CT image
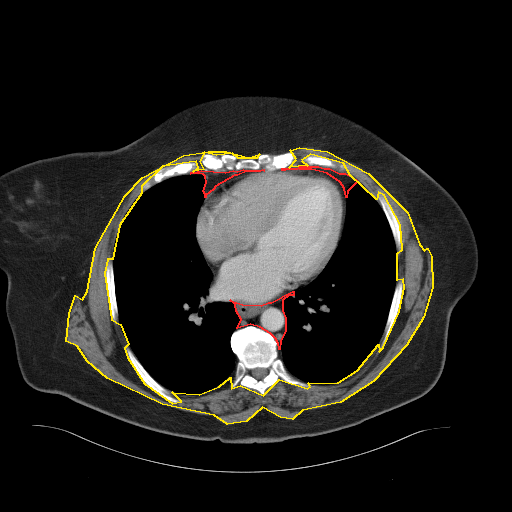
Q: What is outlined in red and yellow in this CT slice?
A: red: mediastinum; yellow: muscle.
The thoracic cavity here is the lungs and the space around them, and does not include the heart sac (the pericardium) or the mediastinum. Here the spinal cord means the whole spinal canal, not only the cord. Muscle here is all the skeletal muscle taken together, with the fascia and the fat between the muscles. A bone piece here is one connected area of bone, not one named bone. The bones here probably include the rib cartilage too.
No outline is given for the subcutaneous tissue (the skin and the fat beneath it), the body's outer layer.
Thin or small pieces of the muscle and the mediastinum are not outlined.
{"mediastinum":[[[292,291],[293,291],[293,295],[288,295],[282,300],[282,310],[285,318],[285,330],[280,341],[279,349],[278,343],[275,338],[270,333],[260,327],[250,324],[237,328],[241,319],[236,311],[235,304],[230,300],[242,304],[261,305],[268,302],[271,302]],[[243,169],[247,170],[260,170],[262,169],[264,170],[246,171],[237,175],[234,175],[215,186],[213,189],[205,195],[205,197],[205,194],[203,191],[206,182],[205,176],[203,174],[199,173],[190,173],[201,170],[225,172],[233,170],[237,171]],[[300,166],[304,166],[305,167],[306,166],[318,166],[324,168],[329,168],[339,173],[345,173],[351,176],[357,181],[347,191],[346,197],[344,188],[340,182],[327,173],[311,169],[300,169],[299,168],[292,169],[281,169],[285,169],[286,168],[288,167],[289,168],[297,168]]],"muscle":[[[299,147],[327,151],[368,173],[407,212],[419,244],[424,250],[427,248],[431,256],[432,287],[423,317],[406,345],[373,381],[340,402],[302,410],[292,419],[280,417],[262,407],[246,421],[227,424],[214,415],[162,404],[107,378],[87,361],[77,346],[66,341],[69,313],[75,295],[82,299],[87,291],[95,248],[125,195],[142,177],[183,155],[208,151],[226,151],[248,157],[259,154],[256,158],[238,158],[232,153],[216,155],[204,152],[199,161],[203,169],[193,171],[198,167],[196,161],[162,166],[141,186],[141,193],[119,225],[112,259],[107,259],[104,273],[111,319],[120,324],[128,344],[124,348],[127,357],[144,383],[172,403],[181,401],[172,392],[199,394],[219,386],[230,377],[231,388],[240,385],[263,395],[279,379],[307,388],[310,386],[308,383],[338,382],[357,370],[378,344],[379,351],[383,347],[399,311],[404,287],[403,279],[397,280],[397,253],[402,249],[400,224],[384,195],[378,192],[376,199],[350,175],[343,163],[310,154],[301,160],[307,165],[289,167],[296,159],[290,150]]],"thoracic_cavity":[[[186,174],[199,174],[205,178],[202,190],[204,199],[195,220],[195,237],[212,273],[212,285],[234,304],[240,321],[230,335],[230,348],[236,358],[232,376],[211,389],[184,394],[160,384],[131,349],[119,321],[113,254],[120,225],[134,201],[154,185]],[[356,182],[361,183],[378,202],[387,220],[397,256],[396,282],[381,337],[365,361],[352,373],[338,381],[307,382],[294,376],[279,356],[278,349],[281,347],[286,330],[283,300],[293,296],[295,290],[311,282],[329,261],[342,235],[347,209],[347,193]]],"torso":[[[236,95],[293,97],[343,114],[393,145],[459,204],[475,235],[478,270],[451,313],[445,363],[435,385],[418,399],[357,425],[267,443],[225,443],[156,432],[63,395],[32,388],[18,367],[5,311],[0,175],[41,158],[118,148],[185,107]]],"spinal_cord":[[[255,368],[265,368],[266,369],[267,369],[267,373],[266,374],[266,375],[265,376],[264,376],[261,379],[257,379],[256,378],[255,378],[251,374],[251,371],[253,369],[254,369]]],"bones":[{"outer":[[250,325],[260,328],[274,338],[277,343],[278,356],[285,368],[294,377],[306,382],[309,386],[304,387],[291,384],[281,378],[267,387],[263,394],[253,388],[240,384],[237,384],[234,387],[230,386],[237,362],[236,355],[231,348],[231,335],[236,329]],"hole":[[255,368],[265,368],[266,369],[267,369],[267,373],[266,374],[266,375],[265,376],[264,376],[261,379],[257,379],[256,378],[255,378],[251,374],[251,371],[253,369],[254,369]]},[[288,151],[292,151],[295,156],[295,159],[292,163],[285,168],[273,170],[265,170],[262,168],[243,168],[225,171],[216,171],[211,169],[205,170],[200,162],[204,153],[209,153],[216,156],[226,153],[235,155],[238,159],[256,159],[262,153],[276,155]],[[126,346],[128,346],[130,348],[144,369],[160,385],[166,389],[169,390],[175,397],[180,399],[180,401],[179,402],[172,402],[161,397],[154,391],[153,391],[145,383],[145,382],[141,378],[141,377],[138,374],[132,365],[126,352],[126,349],[125,348]],[[183,162],[196,162],[197,163],[197,167],[194,170],[189,173],[180,174],[179,175],[175,175],[174,176],[168,177],[162,181],[154,184],[148,189],[142,192],[141,191],[141,188],[144,183],[152,178],[156,170],[162,167],[171,167],[178,163],[182,163]],[[399,279],[402,279],[403,281],[402,295],[401,296],[400,304],[398,308],[398,311],[394,323],[391,328],[391,330],[384,344],[379,350],[380,340],[382,337],[384,331],[384,328],[387,321],[387,318],[388,317],[390,306],[392,302],[396,283]],[[378,193],[380,193],[383,195],[393,209],[397,217],[397,220],[399,224],[399,230],[400,231],[400,239],[401,240],[401,249],[399,253],[397,252],[396,246],[395,245],[395,241],[388,220],[383,211],[381,205],[377,199]],[[109,258],[112,260],[112,265],[113,266],[113,280],[114,281],[114,288],[115,289],[115,299],[117,304],[117,311],[118,312],[118,320],[116,323],[115,323],[112,319],[112,316],[109,307],[107,289],[106,288],[106,276],[105,273],[106,272],[106,264]],[[310,155],[323,156],[331,160],[333,160],[337,163],[341,163],[343,164],[349,170],[350,173],[349,174],[348,172],[347,173],[346,172],[339,172],[329,167],[324,167],[323,166],[319,166],[318,165],[308,165],[302,160],[304,157],[306,157]]],"pericardium":[[[293,169],[322,172],[337,180],[343,188],[345,195],[345,217],[339,241],[321,271],[311,281],[304,285],[301,285],[271,301],[261,304],[249,304],[231,300],[219,290],[214,280],[214,275],[204,257],[196,237],[196,220],[206,195],[222,182],[246,172]]]}